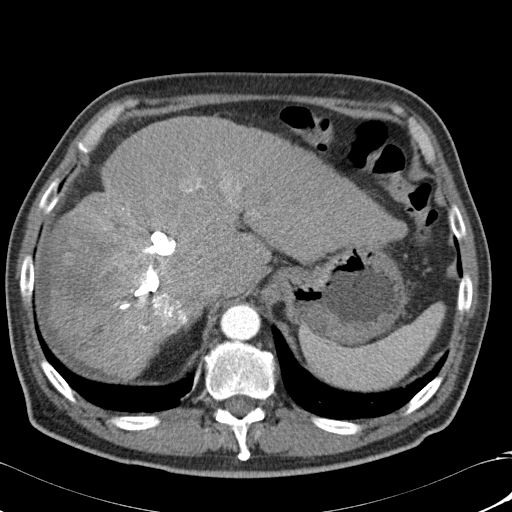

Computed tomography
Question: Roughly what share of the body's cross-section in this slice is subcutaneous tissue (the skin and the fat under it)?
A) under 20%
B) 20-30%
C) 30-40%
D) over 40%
Answer: A) under 20%
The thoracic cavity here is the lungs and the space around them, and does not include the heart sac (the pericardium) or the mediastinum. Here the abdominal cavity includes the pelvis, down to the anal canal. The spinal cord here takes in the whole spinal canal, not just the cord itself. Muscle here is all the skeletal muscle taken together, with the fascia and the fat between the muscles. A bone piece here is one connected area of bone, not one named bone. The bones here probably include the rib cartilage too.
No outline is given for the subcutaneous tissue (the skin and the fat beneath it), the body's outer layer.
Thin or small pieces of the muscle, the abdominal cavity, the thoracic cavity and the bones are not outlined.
Outlines:
torso: [[228,70],[334,72],[389,81],[425,100],[452,137],[488,244],[491,302],[475,366],[453,419],[414,448],[369,463],[308,475],[259,479],[198,477],[90,454],[42,433],[28,419],[10,347],[5,263],[11,228],[32,182],[73,119],[106,90],[154,75]]
muscle: [[197,93],[391,100],[413,110],[429,126],[467,213],[478,265],[478,303],[455,386],[434,413],[390,436],[333,454],[262,453],[250,458],[246,441],[250,425],[266,417],[263,403],[277,386],[313,414],[310,420],[316,427],[353,435],[364,427],[353,421],[384,416],[404,405],[402,414],[410,414],[444,379],[438,373],[448,356],[456,314],[468,312],[472,304],[473,282],[463,271],[459,246],[467,231],[459,207],[448,205],[434,176],[430,165],[436,152],[428,134],[396,103],[391,109],[405,116],[407,125],[283,99],[212,103],[118,119],[139,102],[129,98],[91,124],[76,142],[87,155],[64,178],[55,177],[40,197],[37,207],[49,216],[39,228],[33,254],[23,257],[18,286],[25,302],[32,298],[35,332],[45,357],[39,365],[50,383],[73,404],[77,393],[123,414],[107,421],[126,431],[156,427],[161,418],[155,414],[172,410],[204,387],[217,403],[214,420],[233,432],[238,460],[219,451],[179,456],[115,444],[77,423],[40,388],[28,360],[15,278],[37,194],[72,139],[108,103],[127,95]]
bones 1: [[223,341],[248,343],[261,350],[270,351],[273,353],[278,365],[275,391],[262,403],[265,417],[252,422],[248,427],[245,441],[250,456],[246,460],[240,460],[237,457],[239,446],[230,426],[215,420],[213,413],[218,403],[205,390],[204,386],[206,353]] with a hole at [[235,395],[244,395],[245,396],[248,396],[254,399],[255,400],[255,406],[243,416],[241,416],[239,417],[238,416],[236,416],[234,415],[232,413],[231,413],[226,408],[225,408],[224,406],[224,404],[225,403],[224,402],[226,399],[232,396],[234,396]]
bones 2: [[129,99],[137,99],[138,102],[134,105],[126,108],[124,111],[118,116],[117,119],[101,134],[98,140],[89,152],[87,153],[83,153],[81,152],[77,147],[77,142],[84,136],[92,124],[93,124],[100,116],[111,107],[117,104],[122,103],[124,101]]
bones 3: [[394,104],[402,107],[404,109],[407,116],[412,116],[420,124],[427,134],[435,152],[435,159],[432,163],[428,164],[426,162],[418,142],[410,131],[408,126],[407,117],[405,115],[404,116],[400,115],[393,111],[392,105]]
bones 4: [[147,414],[149,415],[153,415],[154,414],[158,416],[160,418],[160,422],[156,426],[146,428],[145,429],[140,429],[139,430],[126,430],[125,429],[122,429],[114,425],[111,422],[108,421],[108,420],[112,416],[114,416],[115,415],[146,415]]
bones 5: [[313,415],[323,417],[324,418],[328,418],[329,419],[334,419],[335,420],[348,420],[356,423],[359,423],[361,424],[363,427],[360,431],[353,434],[340,434],[339,433],[334,433],[333,432],[330,432],[329,431],[324,430],[316,426],[311,420],[311,417]]
bones 6: [[44,358],[45,358],[51,364],[51,365],[58,372],[58,373],[64,379],[64,380],[70,386],[70,387],[76,392],[76,393],[74,395],[76,399],[76,402],[74,403],[71,402],[66,397],[65,397],[60,392],[59,392],[48,379],[40,365],[40,361]]
bones 7: [[27,254],[31,254],[33,256],[33,266],[34,267],[34,271],[33,272],[34,273],[33,274],[33,290],[32,291],[32,297],[30,302],[27,302],[22,298],[22,296],[20,293],[20,287],[19,286],[20,276],[21,275],[21,266],[24,257]]
bones 8: [[437,375],[442,375],[443,376],[443,379],[441,383],[439,385],[438,388],[433,394],[433,395],[421,406],[415,409],[410,413],[406,415],[404,415],[403,413],[406,408],[405,405],[414,395],[415,395],[424,386],[425,386],[433,378],[434,378]]
bones 9: [[463,272],[467,272],[469,274],[471,278],[471,281],[472,282],[472,296],[471,297],[471,304],[470,305],[469,310],[468,311],[464,311],[462,313],[461,313],[459,312],[457,309],[457,299],[458,298],[458,291],[459,290],[460,279],[463,274]]
bones 10: [[57,177],[59,177],[63,179],[58,186],[58,190],[60,191],[61,189],[61,193],[59,196],[59,198],[57,202],[55,204],[51,211],[47,214],[44,214],[43,212],[41,210],[40,210],[38,207],[39,202],[41,199],[42,195],[49,186],[51,182]]
bones 11: [[452,203],[454,203],[458,207],[459,211],[461,214],[461,216],[462,217],[464,225],[465,226],[466,235],[465,237],[462,238],[460,240],[460,241],[458,241],[457,238],[452,231],[452,229],[450,225],[450,222],[448,218],[448,208],[450,204]]
mediastinum: [[246,301],[262,311],[273,325],[272,326],[272,334],[273,335],[273,340],[275,346],[275,353],[277,360],[274,353],[270,350],[261,349],[251,343],[242,342],[237,340],[223,340],[218,342],[205,353],[205,346],[210,327],[220,305],[230,302],[241,303]]
abdominal cavity: [[252,100],[312,104],[408,127],[447,202],[457,252],[457,311],[447,349],[405,387],[344,391],[304,369],[281,332],[246,300],[219,305],[204,353],[192,371],[174,383],[122,385],[72,372],[48,347],[33,304],[38,234],[65,178],[102,134],[126,116]]
thoracic cavity 1: [[273,327],[280,332],[294,359],[304,370],[319,382],[330,388],[344,392],[375,394],[405,388],[429,372],[444,352],[447,350],[448,352],[437,374],[405,404],[397,409],[377,417],[355,420],[335,419],[307,411],[296,403],[283,387],[277,385],[279,365]]
thoracic cavity 2: [[35,319],[41,336],[51,353],[68,370],[86,380],[122,386],[167,386],[174,384],[189,375],[193,371],[202,355],[205,354],[203,386],[195,394],[172,409],[153,414],[148,413],[124,414],[121,412],[98,406],[87,400],[73,389],[46,358],[36,332]]
spinal cord: [[235,395],[244,395],[245,396],[248,396],[254,399],[255,400],[255,406],[243,416],[241,416],[239,417],[238,416],[236,416],[234,415],[232,413],[231,413],[226,408],[225,408],[224,406],[224,404],[225,403],[224,402],[226,399],[232,396],[234,396]]